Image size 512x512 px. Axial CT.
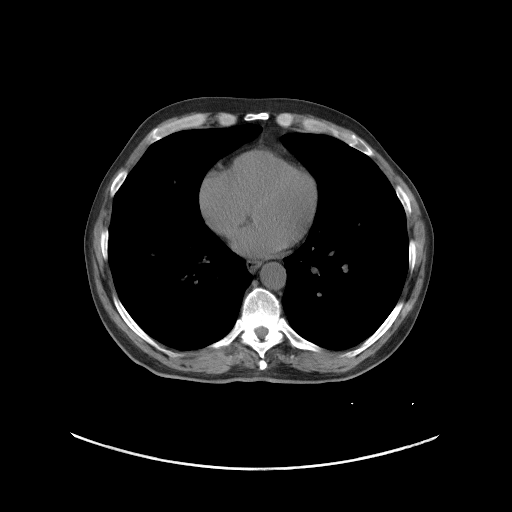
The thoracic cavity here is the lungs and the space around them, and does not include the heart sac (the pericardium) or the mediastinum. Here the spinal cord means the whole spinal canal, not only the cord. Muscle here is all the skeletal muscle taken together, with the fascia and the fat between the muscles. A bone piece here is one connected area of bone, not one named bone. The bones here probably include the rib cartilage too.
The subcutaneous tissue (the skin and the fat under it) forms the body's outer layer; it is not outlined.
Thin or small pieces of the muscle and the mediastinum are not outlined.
{"muscle":[[[147,134],[145,141],[148,146],[139,159],[129,171],[126,168],[121,169],[110,184],[109,196],[112,203],[109,224],[99,233],[101,255],[108,262],[116,292],[111,295],[113,305],[137,336],[171,358],[180,357],[182,354],[159,343],[174,350],[190,351],[205,347],[218,349],[229,346],[238,339],[241,344],[258,354],[258,370],[239,367],[213,374],[171,368],[135,345],[103,307],[96,290],[91,259],[94,224],[107,184]],[[371,147],[408,186],[424,222],[426,261],[419,295],[412,309],[382,346],[349,370],[319,376],[291,366],[265,369],[268,366],[264,359],[266,352],[285,340],[292,348],[316,353],[323,348],[333,351],[348,350],[340,356],[353,358],[390,328],[404,306],[404,301],[399,299],[408,270],[411,273],[413,271],[417,256],[416,242],[409,239],[407,230],[407,217],[412,212],[410,198],[399,184],[392,185],[372,158],[374,152]],[[191,112],[211,112],[212,113],[220,112],[217,113],[215,115],[215,121],[218,126],[208,126],[207,127],[203,127],[203,126],[208,120],[208,115],[204,112],[196,112],[195,113],[193,113],[189,115],[186,115],[185,116],[183,116],[182,117],[180,117],[179,118],[171,120],[168,122],[166,122],[162,124],[160,126],[156,126],[161,122],[169,118],[171,118],[175,116],[180,116],[181,115],[183,115],[187,113],[190,113]],[[291,113],[297,113],[298,114],[310,114],[316,117],[318,117],[319,118],[321,118],[322,119],[325,119],[328,121],[330,121],[337,125],[339,125],[342,127],[344,127],[347,129],[349,129],[353,132],[352,133],[351,132],[348,132],[347,131],[340,130],[336,128],[334,126],[326,123],[322,120],[320,120],[316,118],[313,118],[312,117],[307,117],[306,116],[305,117],[302,117],[300,119],[296,119],[294,115],[292,113]]],"torso":[[[200,96],[297,98],[341,111],[371,132],[412,181],[433,228],[431,275],[413,327],[398,348],[381,363],[358,376],[334,382],[202,383],[156,375],[130,359],[112,339],[96,311],[84,260],[84,230],[93,199],[107,170],[137,127],[149,115],[168,104]]],"pericardium":[[[260,140],[280,145],[287,153],[299,162],[309,172],[316,183],[317,205],[313,221],[307,234],[303,241],[291,253],[279,258],[249,260],[233,251],[205,223],[199,205],[199,191],[204,177],[216,163],[231,154],[233,154],[234,152],[241,148],[253,144]]],"thoracic_cavity":[[[245,123],[259,126],[260,132],[219,158],[209,168],[199,187],[198,205],[207,227],[244,260],[251,280],[244,290],[239,315],[225,335],[198,349],[174,349],[150,336],[131,316],[117,294],[108,261],[113,198],[147,148],[156,141],[181,130],[229,127]],[[296,133],[327,134],[371,158],[393,187],[406,217],[408,269],[399,298],[379,326],[359,344],[348,349],[333,350],[318,345],[300,335],[282,315],[281,300],[287,282],[287,272],[283,260],[304,243],[314,221],[318,205],[316,180],[281,140],[285,134]]],"spinal_cord":[[[261,326],[262,327],[264,327],[265,328],[266,328],[267,329],[267,333],[264,336],[264,337],[263,338],[263,339],[261,339],[260,338],[259,338],[257,336],[257,335],[255,333],[255,329],[256,328],[257,328],[258,327],[260,327]]],"mediastinum":[[[283,257],[284,257],[282,260],[286,272],[286,282],[280,301],[280,300],[271,291],[260,286],[256,286],[254,287],[244,296],[245,290],[251,283],[252,275],[248,271],[246,262],[243,258],[245,258],[249,261],[255,261],[256,260],[279,259]],[[267,120],[273,120],[279,126],[284,128],[292,128],[305,132],[285,133],[280,138],[282,144],[293,154],[296,159],[280,144],[260,139],[241,147],[216,162],[255,138],[261,132],[262,128],[257,124],[251,122],[240,124],[236,123],[240,121],[250,122]]],"bones":[{"outer":[[256,287],[271,292],[279,300],[281,315],[288,324],[300,336],[321,347],[321,350],[316,352],[295,348],[285,339],[265,352],[263,359],[267,366],[259,369],[259,354],[250,346],[241,343],[238,338],[226,346],[208,347],[231,330],[240,315],[244,297]],"hole":[[261,326],[262,327],[264,327],[265,328],[266,328],[267,329],[267,333],[264,336],[264,337],[263,338],[263,339],[261,339],[260,338],[259,338],[257,336],[257,335],[255,333],[255,329],[256,328],[257,328],[258,327],[260,327]]},[[282,112],[288,112],[292,114],[296,120],[300,120],[306,117],[312,118],[322,121],[340,131],[353,133],[361,138],[370,147],[373,152],[373,156],[370,157],[344,141],[327,133],[306,132],[302,130],[297,123],[290,127],[281,126],[275,121],[275,117]],[[196,113],[204,113],[207,115],[207,120],[202,127],[186,128],[185,129],[181,129],[177,131],[174,131],[162,137],[160,139],[156,140],[149,145],[147,143],[146,141],[147,136],[150,131],[155,127],[160,127],[162,125],[171,121],[186,116],[189,116]],[[113,294],[116,294],[117,295],[122,305],[125,308],[130,316],[150,337],[155,340],[163,347],[169,349],[176,353],[179,353],[181,354],[181,355],[176,357],[171,357],[165,353],[156,349],[152,345],[137,335],[128,326],[118,312],[112,300],[112,295]],[[399,300],[403,301],[404,303],[403,304],[403,306],[401,308],[399,313],[389,328],[379,338],[378,338],[367,348],[353,357],[344,357],[343,356],[341,356],[343,353],[349,350],[356,348],[362,342],[363,342],[368,337],[369,337],[385,320]],[[396,185],[399,185],[406,193],[406,194],[408,196],[408,197],[409,198],[409,202],[410,203],[410,207],[411,208],[411,212],[410,213],[409,216],[406,216],[406,214],[405,213],[404,208],[396,194],[396,192],[395,191],[395,189],[394,188],[394,187]],[[221,112],[227,112],[228,113],[231,113],[232,114],[233,114],[234,115],[235,115],[237,117],[237,122],[236,122],[233,125],[230,125],[229,126],[219,126],[219,125],[217,123],[217,122],[216,121],[216,115],[217,114],[218,114],[219,113],[220,113]],[[123,169],[126,169],[128,171],[128,173],[125,179],[123,181],[123,182],[121,184],[121,185],[119,187],[117,191],[114,194],[113,197],[111,197],[110,196],[110,188],[111,187],[111,184],[114,178],[117,175],[117,174],[121,170]],[[104,227],[107,227],[108,228],[108,239],[107,240],[107,260],[105,260],[103,258],[103,256],[102,255],[102,252],[101,251],[101,246],[100,245],[100,233],[101,232],[101,231],[102,230],[102,229]],[[410,239],[412,239],[413,240],[414,240],[414,241],[415,242],[415,248],[416,249],[416,256],[415,257],[415,263],[414,264],[414,266],[413,267],[413,269],[411,272],[410,271],[409,271],[409,267],[408,266],[408,253],[409,252],[409,240]],[[262,111],[265,111],[266,112],[267,112],[269,114],[269,118],[268,119],[267,119],[266,120],[251,120],[250,121],[245,121],[244,120],[243,120],[243,116],[246,113],[248,113],[249,112],[251,112],[252,113],[257,113],[258,112],[261,112]]]}